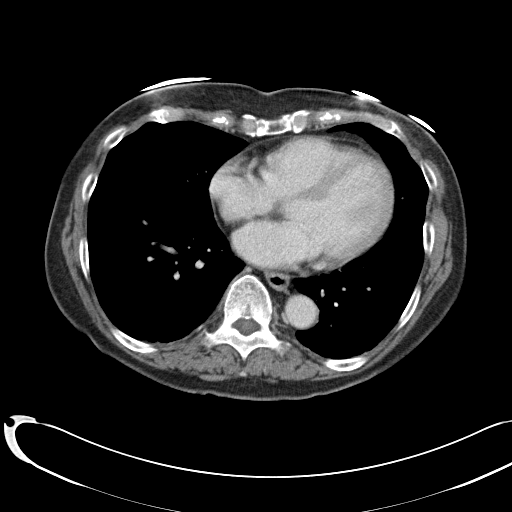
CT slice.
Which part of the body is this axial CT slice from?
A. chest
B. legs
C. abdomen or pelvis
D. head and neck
A. chest
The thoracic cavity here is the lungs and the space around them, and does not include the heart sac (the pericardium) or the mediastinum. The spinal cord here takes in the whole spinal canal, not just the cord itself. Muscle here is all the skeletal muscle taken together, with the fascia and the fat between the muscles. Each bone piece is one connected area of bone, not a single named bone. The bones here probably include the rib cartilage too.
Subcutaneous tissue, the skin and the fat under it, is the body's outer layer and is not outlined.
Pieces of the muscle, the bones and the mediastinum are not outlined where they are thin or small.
The spinal cord is outlined by [[239,319],[252,319],[255,322],[256,322],[258,324],[258,325],[259,326],[259,328],[258,329],[257,329],[256,330],[253,331],[251,333],[250,333],[249,334],[243,334],[242,333],[241,333],[233,325],[234,324],[234,323],[237,320],[238,320]]. The torso is outlined by [[206,81],[242,83],[266,92],[319,87],[378,99],[413,118],[448,155],[466,210],[463,285],[439,325],[388,369],[339,391],[297,400],[258,401],[189,393],[160,384],[100,352],[58,309],[46,283],[44,244],[60,179],[74,152],[102,118],[131,97]]. The mediastinum appears in 2 outlined pieces: piece 1: [[244,261],[260,270],[289,272],[300,276],[321,274],[296,277],[293,280],[295,288],[300,293],[314,300],[319,310],[318,322],[309,329],[297,330],[294,335],[288,335],[278,321],[272,298],[264,283],[256,275],[251,273],[245,273],[235,277],[245,266]]; piece 2: [[341,123],[332,126],[329,129],[330,131],[345,130],[355,133],[370,145],[352,137],[339,137],[321,133],[302,133],[301,134],[280,137],[273,137],[255,143],[238,153],[247,145],[247,142],[231,133],[237,132],[250,137],[275,136],[287,132],[292,132],[295,134],[297,134],[298,133],[300,133],[308,128],[318,129]]. The pericardium is outlined by [[302,134],[352,138],[362,141],[375,150],[391,174],[394,189],[392,217],[379,241],[365,253],[352,259],[339,269],[309,275],[300,275],[275,269],[260,269],[242,259],[232,250],[215,217],[209,192],[210,183],[215,172],[224,162],[255,144],[273,138]]. The muscle appears in 3 outlined pieces: piece 1: [[146,113],[147,121],[131,133],[127,134],[128,128],[121,125],[105,136],[102,145],[109,150],[103,165],[99,173],[92,171],[86,175],[80,191],[82,201],[88,202],[86,236],[78,240],[80,269],[87,281],[90,277],[97,301],[113,325],[109,327],[111,334],[126,348],[142,354],[154,353],[159,349],[151,343],[176,341],[194,330],[202,337],[201,344],[206,349],[227,344],[243,361],[257,348],[268,348],[282,356],[291,343],[277,336],[272,323],[279,324],[292,339],[325,358],[322,364],[331,370],[351,371],[365,364],[369,357],[364,353],[393,328],[401,329],[414,313],[422,293],[417,281],[424,256],[429,256],[434,247],[435,226],[425,219],[425,214],[429,192],[438,187],[438,180],[425,160],[418,164],[410,155],[401,140],[404,133],[424,157],[435,163],[443,177],[442,207],[451,223],[453,257],[447,279],[403,340],[380,361],[356,374],[274,383],[257,377],[209,381],[178,369],[155,368],[133,358],[110,342],[91,321],[65,263],[61,233],[77,178],[94,156],[100,139],[114,126],[128,124]]; piece 2: [[166,105],[171,105],[175,107],[187,107],[194,108],[204,111],[214,111],[215,110],[221,110],[222,109],[229,109],[237,114],[241,114],[240,115],[239,127],[242,133],[237,131],[234,132],[228,131],[229,128],[235,123],[235,120],[230,115],[223,113],[222,114],[216,114],[209,117],[208,116],[207,119],[209,122],[209,125],[194,120],[182,120],[185,113],[181,108],[179,108],[178,107],[168,107],[167,106],[158,107],[159,106],[165,106]]; piece 3: [[214,313],[215,313],[216,314],[217,314],[218,315],[219,314],[221,314],[221,317],[220,318],[220,322],[219,323],[219,324],[213,330],[209,330],[206,327],[206,326],[205,325],[205,324],[204,323]]. The bones appear in 12 outlined pieces: piece 1: [[245,274],[256,276],[269,293],[279,323],[272,322],[271,329],[279,339],[290,343],[282,355],[268,347],[257,347],[243,360],[240,354],[227,343],[206,348],[202,344],[203,337],[195,330],[204,324],[209,331],[213,331],[220,324],[224,294],[233,279]] with a hole at [[239,319],[252,319],[255,322],[256,322],[258,324],[258,325],[259,326],[259,328],[258,329],[257,329],[256,330],[253,331],[251,333],[250,333],[249,334],[243,334],[242,333],[241,333],[233,325],[234,324],[234,323],[237,320],[238,320]]; piece 2: [[300,109],[307,109],[312,112],[325,110],[369,112],[394,121],[403,132],[403,136],[400,139],[363,121],[333,122],[324,127],[312,122],[307,128],[297,133],[287,131],[275,135],[246,135],[240,127],[241,115],[244,113],[257,118],[277,119],[283,114]]; piece 3: [[111,326],[116,327],[127,335],[135,339],[137,339],[141,341],[144,341],[152,344],[158,349],[157,351],[155,351],[154,352],[149,352],[148,353],[142,353],[141,352],[134,351],[126,347],[117,339],[116,339],[116,338],[112,334],[110,330],[110,327]]; piece 4: [[362,354],[363,354],[365,356],[367,356],[368,357],[368,360],[359,367],[355,368],[354,369],[352,369],[351,370],[337,371],[336,370],[331,369],[323,364],[323,361],[327,358],[330,358],[331,359],[346,359],[347,358],[350,358],[351,357],[358,356]]; piece 5: [[161,107],[167,107],[168,108],[178,108],[179,109],[181,109],[184,113],[183,117],[181,120],[176,120],[175,121],[171,121],[170,122],[167,122],[166,123],[160,123],[159,122],[156,122],[155,121],[148,121],[148,113],[154,109],[157,109]]; piece 6: [[416,284],[420,285],[421,287],[421,293],[419,297],[418,303],[413,313],[411,315],[409,319],[405,323],[405,324],[401,328],[400,328],[398,330],[396,330],[394,327],[396,325],[402,312],[404,310],[407,303],[409,301],[409,299],[413,292],[413,290]]; piece 7: [[84,236],[85,236],[87,238],[87,247],[88,248],[88,259],[89,260],[89,279],[88,280],[87,280],[84,277],[84,275],[83,274],[83,273],[82,272],[82,270],[81,269],[81,264],[80,263],[80,259],[79,258],[79,240],[81,237],[83,237]]; piece 8: [[425,220],[428,220],[430,222],[431,222],[433,224],[433,225],[434,226],[434,241],[433,242],[433,247],[432,248],[432,250],[431,251],[431,253],[429,255],[427,255],[426,254],[425,254],[424,253],[424,249],[423,248],[423,224],[424,223],[424,221]]; piece 9: [[92,172],[93,173],[97,173],[98,174],[97,181],[96,182],[95,187],[90,196],[90,198],[89,200],[87,202],[84,202],[82,199],[82,196],[81,195],[81,191],[82,190],[82,185],[87,175],[89,173],[91,173]]; piece 10: [[121,126],[125,126],[127,128],[127,131],[126,132],[126,134],[124,136],[124,137],[118,143],[117,143],[113,147],[112,147],[110,149],[108,149],[103,145],[103,141],[104,140],[104,139],[108,134],[109,134],[112,131],[115,130],[117,128],[118,128]]; piece 11: [[420,161],[425,161],[431,167],[431,168],[433,170],[435,174],[435,176],[437,180],[437,187],[434,190],[432,191],[429,191],[429,189],[428,188],[427,183],[425,180],[425,178],[423,175],[423,173],[419,165],[419,163]]; piece 12: [[223,114],[227,115],[228,116],[230,116],[234,120],[234,123],[231,126],[230,126],[226,131],[224,130],[224,128],[223,127],[222,128],[219,128],[218,127],[210,125],[210,122],[208,119],[208,117],[209,118],[210,117],[212,117],[216,115],[222,115]]. The thoracic cavity appears in 2 outlined pieces: piece 1: [[176,121],[194,121],[215,127],[246,142],[245,146],[217,168],[208,188],[215,222],[231,251],[243,261],[244,266],[229,282],[223,294],[221,313],[214,312],[179,339],[148,342],[115,326],[98,301],[90,276],[88,205],[112,148],[147,122],[166,124]]; piece 2: [[352,122],[368,123],[399,139],[419,166],[428,189],[422,224],[424,255],[408,301],[387,334],[361,354],[326,358],[290,336],[320,320],[315,300],[300,292],[294,280],[340,271],[365,254],[384,236],[395,204],[392,174],[380,154],[355,132],[330,130]].